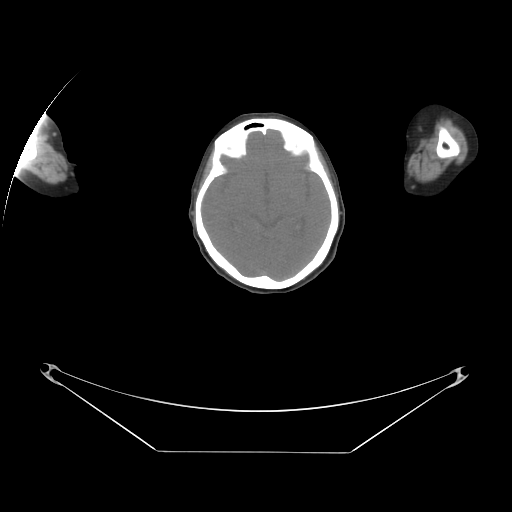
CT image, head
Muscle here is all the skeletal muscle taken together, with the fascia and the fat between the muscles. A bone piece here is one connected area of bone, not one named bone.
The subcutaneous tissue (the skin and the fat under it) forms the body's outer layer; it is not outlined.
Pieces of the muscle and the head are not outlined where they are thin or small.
The brain is outlined by 268 130; 279 133; 282 148; 292 156; 306 154; 305 168; 318 176; 329 202; 329 222; 320 245; 301 268; 281 279; 241 272; 214 245; 202 213; 210 184; 229 171; 221 160; 222 156; 240 159; 247 154; 249 135; 254 132; 265 135. The muscle appears in 4 outlined pieces: piece 1: 441 115; 445 115; 451 118; 456 124; 462 128; 468 142; 468 153; 465 160; 461 164; 457 165; 454 169; 444 176; 440 176; 431 182; 421 184; 410 177; 407 172; 408 161; 413 152; 414 139; 419 128; 425 121; 431 118; 437 118, around a hole outlined by 441 126; 443 126; 445 128; 446 128; 451 136; 458 143; 460 147; 460 151; 456 156; 450 156; 449 157; 446 157; 445 158; 440 158; 437 155; 436 153; 436 147; 437 146; 437 142; 438 141; 438 134; 439 133; 439 128; piece 2: 43 113; 45 113; 46 116; 49 118; 49 122; 52 128; 51 129; 56 134; 56 148; 62 154; 68 165; 67 179; 57 184; 46 183; 24 170; 21 166; 16 165; 19 161; 23 163; 30 163; 35 160; 38 156; 39 117; piece 3: 212 145; 212 150; 210 155; 210 168; 197 191; 196 197; 194 201; 194 224; 195 225; 195 228; 193 222; 193 215; 192 214; 192 211; 194 208; 194 191; 197 185; 198 180; 201 175; 202 170; 204 167; 205 162; 210 152; 210 149; piece 4: 316 142; 329 166; 329 168; 333 175; 333 178; 335 181; 335 184; 336 185; 336 188; 338 193; 338 201; 339 202; 340 215; 339 215; 339 203; 338 202; 338 200; 334 190; 334 187; 320 158; 320 156; 319 155; 319 151; 318 150. The bones appear in 3 outlined pieces: piece 1: 255 117; 275 117; 284 119; 303 128; 313 136; 319 158; 333 187; 338 203; 339 221; 337 231; 322 263; 298 282; 278 289; 253 287; 229 275; 210 257; 198 236; 195 224; 195 201; 198 191; 211 168; 211 155; 214 140; 233 125 with a hole at 268 130; 279 133; 282 148; 292 156; 306 154; 305 168; 318 176; 329 202; 329 222; 320 245; 301 268; 281 279; 241 272; 214 245; 202 213; 210 184; 229 171; 221 160; 222 156; 240 159; 247 154; 249 135; 254 132; 265 135; piece 2: 441 126; 443 126; 445 128; 446 128; 451 136; 458 143; 460 147; 460 151; 456 156; 450 156; 449 157; 446 157; 445 158; 440 158; 437 155; 436 153; 436 147; 437 146; 437 142; 438 141; 438 134; 439 133; 439 128; piece 3: 38 120; 38 154; 35 158; 35 159; 34 159; 30 162; 23 162; 20 160; 19 160; 18 161; 18 159; 19 158; 19 157; 20 156; 20 154; 24 147; 24 145; 25 144; 28 137; 30 135; 31 132; 33 130; 35 125; 37 123. The head is outlined by 262 111; 275 111; 289 115; 305 124; 316 134; 327 151; 337 173; 345 207; 345 224; 335 257; 331 263; 307 284; 293 291; 279 294; 252 293; 230 283; 218 275; 201 255; 188 219; 191 184; 202 155; 212 136; 218 129; 237 115. The right arm is outlined by 43 113; 46 113; 58 125; 62 135; 63 145; 67 153; 67 157; 71 162; 77 165; 76 176; 79 184; 79 191; 77 193; 57 198; 42 195; 30 189; 18 179; 14 178; 13 176; 13 169; 16 166; 24 145; 37 123; 40 115. The left arm is outlined by 432 102; 437 102; 444 104; 459 112; 469 119; 476 130; 479 142; 479 149; 475 160; 466 169; 460 173; 444 191; 432 197; 418 197; 406 193; 403 188; 402 163; 403 162; 404 153; 406 149; 405 133; 408 122; 413 114; 422 106.